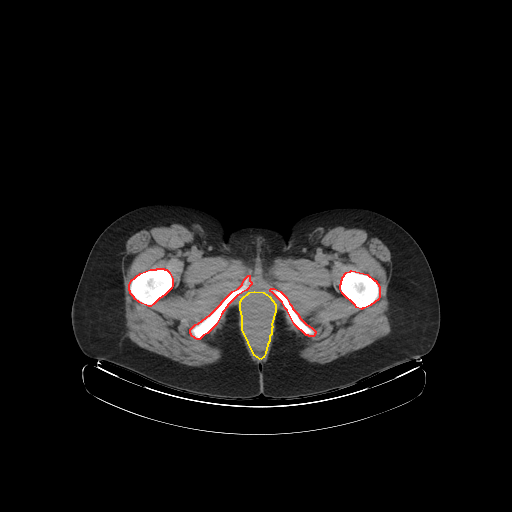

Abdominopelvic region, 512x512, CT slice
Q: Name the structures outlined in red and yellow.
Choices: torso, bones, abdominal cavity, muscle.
A: red: bones; yellow: abdominal cavity.
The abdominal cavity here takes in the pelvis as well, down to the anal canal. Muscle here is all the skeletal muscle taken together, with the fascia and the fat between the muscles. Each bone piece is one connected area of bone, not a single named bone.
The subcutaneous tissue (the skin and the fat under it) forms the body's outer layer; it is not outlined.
The bones appear in 4 outlined pieces: piece 1: 157,268 163,268 164,269 166,269 169,272 172,278 172,286 171,288 164,295 159,298 153,304 150,306 148,306 139,302 134,298 134,297 130,293 130,291 129,290 129,285 131,280 140,273 150,269 156,269; piece 2: 351,270 367,274 374,280 375,280 379,286 379,297 378,299 370,305 364,308 362,308 361,309 356,307 355,305 342,293 340,289 340,284 341,283 341,280 342,279 342,277 346,272 350,271; piece 3: 248,275 249,275 249,280 251,282 251,284 246,290 237,295 228,304 221,314 216,324 207,333 203,335 199,339 197,339 192,336 190,333 190,329 195,324 198,323 210,314 232,291 238,288 242,284 244,279; piece 4: 271,288 274,288 280,291 286,297 289,303 291,305 292,308 297,313 300,318 306,324 311,327 315,331 315,333 313,336 309,336 308,335 306,335 294,324 287,310 285,308 282,302 272,292 270,291 270,289. The abdominal cavity is outlined by 254,291 263,292 269,296 275,304 275,311 271,324 272,327 271,328 271,334 269,336 269,341 267,344 265,353 263,357 260,359 254,355 242,329 242,317 240,308 240,301 242,298 249,292. The torso is outlined by 150,204 205,211 219,219 227,232 264,227 284,235 298,219 326,209 378,212 404,228 429,263 440,305 436,341 419,361 412,359 344,388 293,399 198,395 88,357 78,346 71,323 72,301 88,254 115,219. The muscle is outlined by 161,220 183,223 208,253 240,257 248,264 260,260 266,266 280,256 304,257 329,229 336,226 367,230 380,239 391,254 392,269 387,289 391,331 333,361 311,363 299,356 300,339 288,328 283,312 278,310 267,359 255,361 244,344 239,329 238,308 234,306 215,335 214,344 222,350 222,356 214,363 190,366 144,349 125,335 122,254 130,236 with holes at 254,291 263,292 269,296 275,304 275,311 271,324 272,327 271,328 271,334 269,336 269,341 267,344 265,353 263,357 260,359 254,355 242,329 242,317 240,308 240,301 242,298 249,292 and at 157,268 163,268 164,269 166,269 169,272 172,278 172,286 171,288 164,295 159,298 153,304 150,306 148,306 139,302 134,298 134,297 130,293 130,291 129,290 129,285 131,280 140,273 150,269 156,269 and at 351,270 367,274 374,280 375,280 379,286 379,297 378,299 370,305 364,308 362,308 361,309 356,307 355,305 342,293 340,289 340,284 341,283 341,280 342,279 342,277 346,272 350,271 and at 248,275 249,275 249,280 251,282 251,284 246,290 237,295 228,304 221,314 216,324 207,333 203,335 199,339 197,339 192,336 190,333 190,329 195,324 198,323 210,314 232,291 238,288 242,284 244,279 and at 271,288 274,288 280,291 286,297 289,303 291,305 292,308 297,313 300,318 306,324 311,327 315,331 315,333 313,336 309,336 308,335 306,335 294,324 287,310 285,308 282,302 272,292 270,291 270,289.